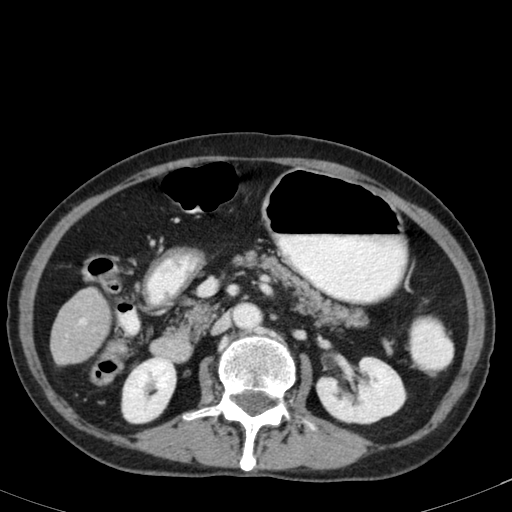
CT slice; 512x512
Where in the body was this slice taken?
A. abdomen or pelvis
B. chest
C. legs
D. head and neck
Answer: A. abdomen or pelvis
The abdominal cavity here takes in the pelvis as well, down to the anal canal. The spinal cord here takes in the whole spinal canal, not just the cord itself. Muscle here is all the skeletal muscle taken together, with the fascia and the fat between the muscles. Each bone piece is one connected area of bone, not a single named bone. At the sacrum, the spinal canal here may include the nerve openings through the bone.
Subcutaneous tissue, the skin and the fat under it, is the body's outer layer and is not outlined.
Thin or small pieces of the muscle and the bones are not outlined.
{"torso":[[[230,131],[307,135],[375,155],[434,193],[474,242],[490,280],[496,313],[490,369],[461,429],[421,466],[386,479],[333,482],[129,473],[100,463],[72,445],[42,416],[23,388],[7,342],[6,295],[17,259],[41,221],[79,185],[121,159],[172,140]]],"bones":[{"outer":[[247,335],[269,336],[288,348],[296,364],[296,381],[284,394],[291,419],[283,417],[279,425],[263,425],[258,430],[255,466],[244,471],[239,461],[245,430],[239,422],[222,414],[184,420],[182,414],[220,401],[224,389],[216,373],[218,356],[231,341]],"hole":[[245,391],[262,392],[264,393],[269,398],[273,400],[274,404],[273,406],[270,407],[268,409],[266,409],[264,411],[260,413],[258,413],[255,415],[250,415],[240,406],[239,406],[235,402],[235,400],[234,399],[234,396],[238,394],[241,394]]}],"spinal_cord":[[[245,391],[262,392],[264,393],[269,398],[273,400],[274,404],[273,406],[270,407],[268,409],[266,409],[264,411],[260,413],[258,413],[255,415],[250,415],[240,406],[239,406],[235,402],[235,400],[234,399],[234,396],[238,394],[241,394]]],"muscle":[{"outer":[[204,155],[335,162],[426,209],[448,229],[476,274],[485,309],[485,333],[466,391],[435,429],[409,444],[340,468],[250,471],[257,463],[254,447],[259,430],[268,425],[277,427],[283,418],[292,419],[285,394],[297,381],[299,353],[307,354],[312,367],[307,409],[374,442],[388,443],[411,434],[432,415],[458,374],[468,333],[466,299],[454,266],[436,241],[393,202],[357,180],[263,160],[212,159],[181,165],[109,196],[61,237],[40,276],[33,309],[35,342],[45,374],[82,418],[110,432],[133,434],[179,414],[184,421],[222,415],[244,430],[239,468],[184,463],[116,446],[76,428],[48,402],[27,365],[18,335],[18,298],[38,248],[57,222],[86,198],[143,169]],"hole":[[295,415],[299,415],[300,416],[305,418],[307,420],[314,423],[317,427],[316,430],[312,430],[309,427],[308,427],[306,425],[305,425],[302,422],[299,422],[298,423],[296,423],[294,421],[294,420],[295,420],[297,418],[296,417],[295,417]]},[[211,355],[214,356],[216,358],[215,373],[217,379],[221,384],[223,389],[221,393],[220,399],[219,401],[215,404],[206,405],[205,406],[202,406],[197,409],[189,410],[195,408],[200,401],[201,390],[200,389],[200,384],[198,379],[199,364],[203,358]]],"abdominal_cavity":[[[212,160],[303,166],[360,182],[441,248],[463,290],[467,333],[457,374],[421,426],[379,442],[313,414],[310,357],[297,354],[297,373],[290,349],[265,334],[203,357],[196,406],[133,433],[89,422],[52,385],[34,309],[62,237],[114,194]]]}